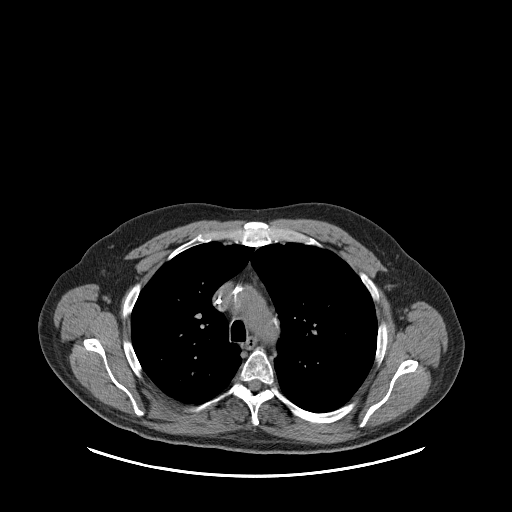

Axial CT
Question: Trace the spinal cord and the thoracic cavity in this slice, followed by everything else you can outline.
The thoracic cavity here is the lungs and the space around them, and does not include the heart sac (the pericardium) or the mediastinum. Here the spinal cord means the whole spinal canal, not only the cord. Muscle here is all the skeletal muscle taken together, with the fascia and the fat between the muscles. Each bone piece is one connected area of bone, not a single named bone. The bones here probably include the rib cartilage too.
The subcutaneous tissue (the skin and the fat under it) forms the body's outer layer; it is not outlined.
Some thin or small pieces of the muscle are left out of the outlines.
Answer: {"spinal_cord":[[[252,380],[258,380],[261,383],[261,388],[258,391],[257,391],[256,392],[253,392],[248,387],[248,386],[247,385],[247,384],[250,381],[251,381]]],"thoracic_cavity":[[[212,241],[325,248],[357,274],[374,303],[376,347],[347,403],[314,412],[280,390],[273,367],[280,321],[250,260],[211,297],[227,322],[228,340],[240,349],[242,363],[231,385],[202,403],[186,404],[143,371],[130,324],[142,288],[164,262]]],"bones":[{"outer":[[257,347],[262,348],[269,358],[279,390],[300,408],[325,413],[354,400],[356,405],[338,420],[316,423],[294,415],[273,397],[259,406],[259,423],[256,426],[251,422],[248,405],[234,395],[198,412],[186,411],[185,407],[202,404],[227,390],[242,364]],"hole":[[252,380],[258,380],[261,383],[261,388],[258,391],[257,391],[256,392],[253,392],[248,387],[248,386],[247,385],[247,384],[250,381],[251,381]]},[[248,221],[263,221],[270,226],[289,228],[315,239],[322,244],[323,247],[308,245],[300,242],[283,241],[273,242],[256,248],[240,243],[212,240],[189,247],[171,259],[166,260],[166,258],[175,248],[189,241],[200,233],[212,230],[234,229],[242,227]],[[86,338],[96,338],[100,342],[104,349],[106,360],[112,374],[116,380],[130,392],[135,400],[137,406],[144,412],[144,414],[142,416],[139,416],[135,413],[132,403],[127,394],[111,380],[101,355],[95,351],[88,350],[85,348],[83,344],[83,340]],[[407,359],[413,359],[417,361],[418,365],[416,369],[414,371],[407,372],[400,375],[395,380],[388,398],[372,413],[365,425],[363,427],[359,427],[359,424],[363,419],[367,410],[370,406],[381,400],[386,394],[389,388],[390,381],[399,365],[403,361]],[[381,321],[384,321],[386,323],[386,325],[387,326],[387,344],[386,345],[386,349],[385,350],[385,353],[384,354],[383,359],[380,365],[377,367],[376,366],[376,364],[374,362],[374,360],[375,359],[375,353],[376,352],[376,348],[377,347],[378,324]],[[136,282],[140,282],[141,283],[141,289],[136,299],[136,301],[133,306],[133,308],[131,311],[131,313],[126,319],[123,319],[123,317],[122,316],[122,313],[123,312],[123,304],[125,300],[125,297],[126,296],[126,294],[128,292],[129,289]],[[124,338],[127,338],[129,340],[130,340],[131,344],[133,347],[135,355],[142,368],[142,378],[141,379],[139,378],[135,374],[135,373],[131,368],[128,362],[128,360],[125,355],[125,353],[124,352],[124,349],[123,348],[123,339]],[[360,271],[361,272],[363,272],[365,273],[368,276],[368,277],[373,281],[373,282],[377,287],[377,289],[379,293],[379,301],[377,302],[374,302],[369,291],[367,289],[365,285],[362,282],[360,277],[358,275],[358,272]]],"muscle":[{"outer":[[203,219],[247,221],[198,233],[142,287],[128,289],[121,316],[129,317],[130,339],[122,348],[139,379],[143,372],[166,396],[194,405],[186,412],[242,400],[253,426],[216,436],[155,430],[98,400],[73,374],[53,319],[68,290],[111,275],[152,237]],"hole":[[86,338],[96,338],[100,342],[104,349],[106,360],[112,374],[116,380],[130,392],[135,400],[137,406],[144,412],[144,414],[142,416],[139,416],[135,413],[132,403],[127,394],[111,380],[101,355],[95,351],[88,350],[85,348],[83,344],[83,340]]},{"outer":[[276,218],[310,218],[340,227],[370,250],[397,282],[442,316],[448,338],[444,359],[429,391],[399,420],[353,439],[325,444],[273,436],[257,427],[260,406],[273,398],[294,416],[310,423],[340,420],[357,405],[352,397],[373,364],[377,368],[381,365],[388,344],[387,323],[384,320],[378,323],[377,319],[375,303],[380,301],[380,293],[374,281],[363,271],[357,273],[315,238],[289,227],[270,225],[266,222]],"hole":[[407,359],[413,359],[417,361],[418,365],[416,369],[414,371],[407,372],[400,375],[395,380],[388,398],[372,413],[365,425],[363,427],[359,427],[359,424],[363,419],[367,410],[370,406],[381,400],[386,394],[389,388],[390,381],[399,365],[403,361]]}],"torso":[[[184,202],[252,209],[326,202],[375,222],[440,282],[452,302],[465,347],[460,369],[449,391],[403,430],[361,447],[329,453],[260,454],[171,444],[142,437],[98,416],[63,384],[47,363],[38,339],[41,308],[56,279],[77,263],[98,239],[134,216]]],"mediastinum":[[[249,261],[263,283],[279,321],[280,334],[276,343],[277,353],[272,360],[272,363],[265,350],[260,346],[257,346],[249,353],[244,361],[242,361],[240,347],[229,340],[228,322],[224,314],[217,309],[212,302],[212,297],[216,290],[224,282],[242,270]]]}